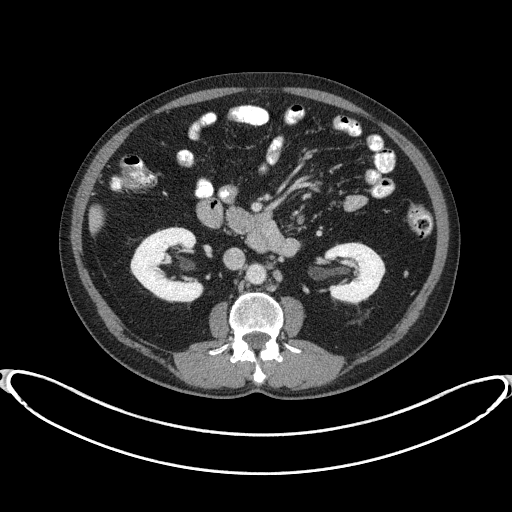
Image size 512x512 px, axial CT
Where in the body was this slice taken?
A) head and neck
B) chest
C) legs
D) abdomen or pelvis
Answer: D) abdomen or pelvis
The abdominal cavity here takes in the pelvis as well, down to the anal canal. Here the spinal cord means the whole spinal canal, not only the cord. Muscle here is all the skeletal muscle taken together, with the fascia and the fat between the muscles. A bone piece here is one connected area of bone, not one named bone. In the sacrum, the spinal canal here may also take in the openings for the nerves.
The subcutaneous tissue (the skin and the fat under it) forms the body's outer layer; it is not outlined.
The abdominal cavity is outlined by 344 354; 397 321; 431 266; 435 217; 403 151; 361 115; 280 91; 180 106; 138 125; 104 166; 82 233; 90 275; 122 321; 149 341; 180 349; 213 337; 208 315; 219 301; 230 305; 256 290; 278 301; 291 295; 306 315; 297 337. The muscle is outlined by 284 391; 318 387; 330 383; 356 365; 379 355; 404 336; 421 314; 444 266; 449 241; 449 221; 445 199; 425 157; 406 137; 340 96; 312 88; 288 86; 218 87; 192 92; 171 100; 126 125; 99 149; 87 168; 75 195; 70 228; 70 243; 79 277; 108 330; 119 341; 155 360; 189 385; 206 389; 237 389; 246 384; 257 385; 252 380; 254 364; 247 361; 232 363; 229 360; 232 352; 230 348; 214 356; 207 353; 209 349; 229 341; 228 337; 232 335; 227 321; 228 302; 219 302; 210 312; 209 327; 214 337; 211 340; 196 342; 180 350; 168 349; 141 338; 121 321; 95 287; 83 257; 82 222; 91 191; 107 160; 138 124; 172 107; 239 91; 280 90; 301 95; 361 114; 377 124; 408 156; 420 174; 432 201; 437 235; 431 269; 421 289; 398 321; 379 340; 367 348; 344 355; 330 352; 310 341; 297 338; 296 335; 305 315; 303 307; 291 296; 280 298; 284 324; 277 341; 280 344; 283 360; 260 362; 267 376; 260 385 with a hole at 296 353; 300 353; 301 352; 301 350; 299 348; 297 348; 296 347; 294 347; 293 346; 292 346; 291 345; 290 345; 289 344; 288 344; 285 342; 283 344; 284 345; 284 346; 286 348; 287 348; 289 350; 290 350; 292 352; 295 352. The bones appear in 2 outlined pieces: piece 1: 258 385; 266 377; 259 362; 282 360; 276 338; 283 324; 283 312; 273 297; 256 291; 245 292; 234 300; 228 315; 233 335; 229 337; 229 342; 208 353; 214 355; 230 347; 233 351; 230 357; 232 362; 247 360; 255 364; 253 380; inner edge: 256 350; 258 350; 263 347; 263 346; 264 345; 264 343; 269 338; 269 336; 267 334; 266 334; 265 333; 262 333; 261 332; 252 332; 251 333; 246 334; 243 337; 243 338; 248 343; 249 346; 251 348; 252 348; 253 349; 255 349; piece 2: 296 353; 300 353; 301 352; 301 350; 299 348; 297 348; 296 347; 294 347; 293 346; 292 346; 291 345; 290 345; 289 344; 288 344; 285 342; 283 344; 284 345; 284 346; 286 348; 287 348; 289 350; 290 350; 292 352; 295 352. The torso is outlined by 286 400; 323 397; 362 385; 409 358; 431 337; 449 305; 459 264; 456 203; 440 164; 421 136; 394 111; 357 89; 294 71; 200 77; 129 109; 102 133; 82 160; 59 222; 64 284; 93 339; 137 375; 202 397; 229 399; 259 392. The spinal cord is outlined by 256 350; 258 350; 263 347; 263 346; 264 345; 264 343; 269 338; 269 336; 267 334; 266 334; 265 333; 262 333; 261 332; 252 332; 251 333; 246 334; 243 337; 243 338; 248 343; 249 346; 251 348; 252 348; 253 349; 255 349.